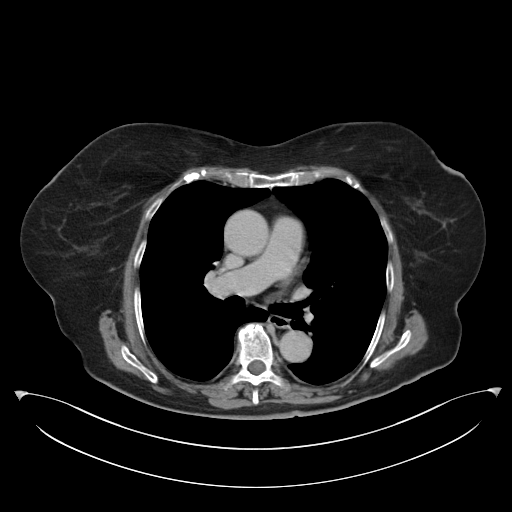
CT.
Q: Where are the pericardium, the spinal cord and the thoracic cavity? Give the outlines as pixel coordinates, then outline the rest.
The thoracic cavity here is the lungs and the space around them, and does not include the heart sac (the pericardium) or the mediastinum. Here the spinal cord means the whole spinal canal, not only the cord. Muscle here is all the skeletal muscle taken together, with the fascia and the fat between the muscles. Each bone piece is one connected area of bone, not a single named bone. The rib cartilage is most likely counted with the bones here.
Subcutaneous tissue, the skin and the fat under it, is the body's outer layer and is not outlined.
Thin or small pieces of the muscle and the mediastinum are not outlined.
A: The pericardium is outlined by [[260,206],[277,206],[293,213],[303,223],[307,235],[305,254],[301,265],[301,271],[298,277],[286,289],[278,295],[271,298],[250,298],[241,294],[233,287],[225,271],[224,266],[224,252],[226,248],[225,228],[228,220],[236,212],[246,209],[253,209]]. The spinal cord is outlined by [[255,360],[259,360],[260,361],[261,361],[264,364],[264,370],[263,371],[262,371],[261,372],[260,372],[258,374],[254,374],[253,373],[252,373],[248,369],[248,365],[251,362],[252,362],[253,361],[254,361]]. The thoracic cavity appears in 2 outlined pieces: piece 1: [[198,180],[269,190],[267,196],[235,210],[226,219],[219,260],[225,289],[240,297],[246,307],[265,311],[266,318],[248,321],[236,330],[234,361],[218,377],[204,382],[181,379],[156,356],[145,334],[140,289],[140,266],[152,218],[176,188]]; piece 2: [[324,178],[337,178],[361,192],[376,213],[387,243],[386,292],[374,330],[357,365],[333,381],[312,384],[296,376],[287,366],[311,357],[312,333],[292,327],[292,320],[284,312],[289,304],[308,296],[303,276],[313,246],[303,220],[273,189],[306,185]]. The muscle appears in 2 outlined pieces: piece 1: [[204,165],[248,167],[259,172],[237,169],[233,172],[225,171],[222,175],[224,180],[205,179],[210,175],[202,167],[198,171],[184,173],[180,179],[183,184],[166,197],[157,197],[149,205],[144,213],[144,217],[150,221],[147,237],[139,242],[133,256],[133,266],[139,268],[139,286],[136,286],[132,293],[133,313],[142,343],[145,344],[147,340],[155,356],[168,370],[183,381],[204,383],[215,380],[234,364],[238,368],[225,385],[228,387],[239,382],[251,384],[254,387],[251,401],[255,405],[252,406],[223,409],[183,394],[164,394],[156,391],[145,380],[118,369],[109,360],[98,329],[102,311],[111,309],[117,312],[121,307],[124,263],[146,200],[175,180],[184,170]] with a hole at [[122,345],[125,345],[129,349],[129,350],[147,368],[148,368],[156,374],[157,376],[157,378],[158,379],[156,383],[153,383],[149,381],[137,368],[134,367],[132,365],[128,363],[123,358],[121,354],[121,347]]; piece 2: [[298,164],[343,168],[354,174],[379,200],[388,215],[398,244],[405,297],[403,307],[405,310],[414,308],[419,312],[425,321],[428,338],[415,354],[405,356],[393,367],[378,373],[375,378],[354,391],[331,402],[258,404],[259,385],[265,382],[281,388],[286,385],[283,377],[274,370],[276,356],[302,381],[312,385],[324,385],[341,378],[362,360],[363,366],[368,363],[372,369],[377,367],[404,348],[412,336],[411,330],[405,329],[392,347],[372,357],[385,325],[386,312],[381,310],[386,293],[389,293],[395,284],[394,266],[387,260],[388,244],[394,241],[392,229],[384,216],[378,216],[362,192],[361,184],[349,174],[339,178],[327,177],[339,174],[335,168],[284,171]]. The mediastinum appears in 2 outlined pieces: piece 1: [[229,217],[224,271],[232,287],[250,299],[274,298],[299,277],[308,243],[306,227],[312,246],[302,276],[307,296],[289,303],[283,313],[292,328],[311,333],[313,350],[307,360],[287,365],[280,361],[262,322],[268,313],[246,306],[224,286],[220,260]]; piece 2: [[271,188],[273,188],[272,189],[272,192],[280,200],[284,202],[294,212],[294,213],[277,205],[260,205],[259,206],[256,206],[253,208],[241,209],[238,211],[236,211],[231,215],[235,211],[241,208],[250,206],[267,197],[270,194],[270,190],[269,189]]. The bones appear in 11 outlined pieces: piece 1: [[252,321],[261,322],[269,335],[275,354],[273,370],[282,377],[285,383],[283,387],[270,381],[259,384],[256,387],[259,401],[257,404],[252,401],[252,392],[255,387],[251,383],[239,381],[228,386],[226,385],[239,368],[233,363],[237,356],[237,330]]; inner edge: [[255,360],[259,360],[260,361],[261,361],[264,364],[264,370],[263,371],[262,371],[261,372],[260,372],[258,374],[254,374],[253,373],[252,373],[248,369],[248,365],[251,362],[252,362],[253,361],[254,361]]; piece 2: [[325,169],[337,170],[338,174],[336,175],[329,175],[326,177],[314,180],[310,183],[301,185],[274,186],[270,188],[234,186],[224,181],[225,180],[223,177],[225,172],[233,173],[237,170],[274,175],[288,171],[308,171],[310,172],[314,170],[324,170]]; piece 3: [[381,311],[385,312],[385,320],[380,337],[371,356],[372,358],[386,350],[392,348],[396,344],[402,333],[405,330],[410,330],[411,336],[409,341],[404,347],[394,352],[380,364],[372,368],[369,366],[368,362],[363,365],[362,359],[375,330],[375,327]]; piece 4: [[122,345],[125,345],[129,349],[129,350],[147,368],[148,368],[156,374],[157,376],[157,378],[158,379],[156,383],[153,383],[149,381],[137,368],[134,367],[132,365],[128,363],[123,358],[121,354],[121,347]]; piece 5: [[136,287],[139,287],[140,295],[141,296],[141,313],[143,319],[144,334],[146,339],[146,342],[145,343],[143,343],[140,337],[138,331],[138,328],[137,327],[137,324],[136,323],[135,314],[134,313],[133,293],[134,292],[134,289]]; piece 6: [[202,168],[204,168],[208,172],[208,174],[209,175],[208,175],[207,177],[206,177],[204,179],[198,179],[197,180],[194,180],[189,183],[184,183],[184,182],[182,180],[181,180],[184,174],[188,173],[189,172],[191,172],[192,171],[196,171],[198,172]]; piece 7: [[388,261],[390,261],[391,262],[391,263],[393,266],[393,269],[394,270],[394,284],[393,285],[393,287],[392,288],[392,289],[389,292],[388,291],[387,291],[387,288],[386,287],[386,278],[385,277],[385,271],[386,270],[386,266],[387,265],[387,262]]; piece 8: [[143,239],[146,239],[146,245],[145,246],[145,250],[144,251],[144,253],[143,254],[143,256],[141,260],[141,263],[139,267],[135,267],[133,263],[134,262],[134,256],[135,255],[135,253],[137,250],[137,248],[140,242]]; piece 9: [[159,197],[164,197],[165,198],[164,200],[161,203],[158,209],[155,212],[155,213],[153,215],[151,219],[150,220],[148,220],[145,217],[145,213],[147,209],[150,206],[150,205],[157,198]]; piece 10: [[381,216],[384,217],[386,219],[386,220],[391,229],[391,231],[392,232],[392,235],[393,236],[393,241],[391,243],[388,243],[387,242],[387,239],[386,238],[385,233],[383,230],[383,228],[380,223],[380,220],[379,219],[379,217],[380,217]]; piece 11: [[347,175],[349,175],[354,180],[356,180],[360,184],[360,185],[361,186],[361,191],[360,191],[358,189],[353,188],[351,186],[350,186],[346,182],[345,182],[344,181],[343,181],[341,179],[340,179],[340,178],[343,178],[345,176],[346,176]]. The torso is outlined by [[369,120],[400,123],[423,137],[447,166],[464,174],[483,207],[483,260],[457,306],[462,332],[449,364],[349,407],[275,419],[170,411],[86,372],[59,328],[52,300],[25,267],[19,245],[32,199],[81,148],[132,122],[180,124],[270,145],[330,123]].